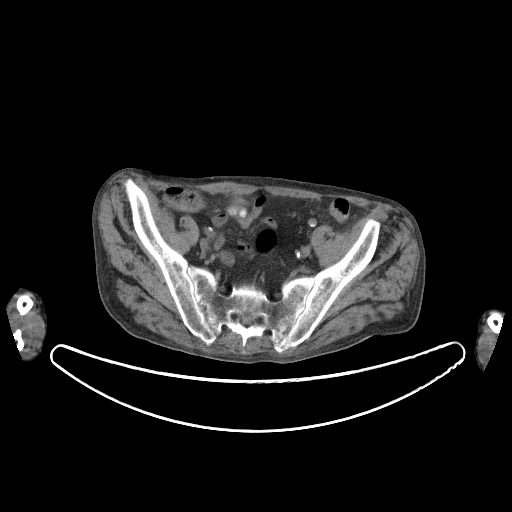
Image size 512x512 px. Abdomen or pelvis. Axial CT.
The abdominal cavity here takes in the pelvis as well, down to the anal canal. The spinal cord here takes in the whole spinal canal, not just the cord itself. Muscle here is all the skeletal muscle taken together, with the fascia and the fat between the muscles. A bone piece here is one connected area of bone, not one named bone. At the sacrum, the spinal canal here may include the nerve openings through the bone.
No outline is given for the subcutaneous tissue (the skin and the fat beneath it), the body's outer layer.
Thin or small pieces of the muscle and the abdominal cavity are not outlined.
Outlines (x, y in pixels):
left arm: 492,307 501,308 504,311 504,313 502,319 501,330 497,335 497,339 493,350 493,353 488,361 486,367 481,371 476,363 473,353 473,348 475,344 475,339 476,338 476,333 477,332 477,322 481,314 485,310
spinal cord 1: 258,317 260,317 262,319 262,322 261,323 254,323 253,322 251,324 246,326 245,325 243,325 241,323 241,322 240,321 240,319 241,318 244,318 247,320 250,320 251,321 253,321 256,318 257,318
spinal cord 2: 277,291 279,291 280,292 280,297 279,298 279,299 278,300 277,300 276,299 275,300 273,300 272,299 272,295 275,292 276,292
spinal cord 3: 219,285 221,285 222,286 225,286 226,287 226,293 225,294 223,294 222,293 221,293 218,290 218,289 219,288 218,287 218,286
spinal cord 4: 233,314 234,314 235,314 236,315 236,316 236,317 236,318 235,319 234,319 233,319 232,318 232,317 232,316 232,315
bones 1: 129,177 145,193 163,239 189,265 212,272 223,295 233,285 252,284 278,301 283,282 338,261 370,218 380,223 377,246 295,347 276,351 268,330 244,346 224,325 207,345 184,324 159,265 134,229 122,183; inner edge: 258,317 260,317 262,319 262,322 261,323 254,323 253,322 251,324 246,326 245,325 243,325 241,323 241,322 240,321 240,319 241,318 244,318 247,320 250,320 251,321 253,321 256,318 257,318
bones 2: 21,294 28,294 29,295 30,298 32,300 32,301 33,302 33,304 32,305 31,308 24,315 21,315 19,313 19,312 18,311 18,310 16,307 16,302 17,301 17,299 18,298 18,297
bones 3: 493,311 496,311 497,312 499,312 500,313 500,315 502,318 502,324 501,325 501,330 500,331 500,332 498,334 497,334 496,333 495,333 490,328 490,327 488,325 488,324 487,323 487,319 489,317 489,316
bones 4: 18,328 19,328 21,330 21,336 22,337 22,339 24,342 24,345 23,346 23,348 22,349 22,350 21,350 19,352 17,350 17,346 16,345 16,344 14,341 14,339 13,338 13,333 14,332 14,331
abdominal cavity: 167,186 222,196 265,190 317,200 343,197 365,212 343,231 328,224 313,230 309,243 320,268 313,275 286,279 271,298 252,283 233,284 227,293 212,271 185,257 200,230 190,215 176,216 160,206 156,192
right arm: 19,287 28,288 35,291 40,295 43,300 45,312 47,316 47,331 44,339 42,351 32,361 24,361 21,358 20,353 17,350 17,346 13,338 14,332 11,330 8,316 6,313 6,302 9,297
muscle 1: 123,172 135,172 141,174 145,177 150,177 156,180 161,180 168,182 189,183 190,184 202,184 212,182 232,181 238,183 258,185 259,186 260,185 269,185 270,186 294,187 295,188 306,189 319,193 338,193 339,194 359,196 369,200 379,201 389,204 394,207 398,207 404,212 405,215 411,221 413,226 413,235 417,242 419,250 419,262 415,282 413,286 408,291 409,292 409,300 403,309 390,319 384,319 380,321 372,322 365,326 361,330 353,334 348,335 345,337 342,337 326,345 321,346 311,351 301,353 298,355 279,357 274,356 266,352 259,352 250,355 236,355 233,353 218,354 203,351 196,348 187,347 184,345 179,344 173,340 156,333 145,326 137,323 133,318 133,314 118,298 116,292 117,291 115,288 115,282 113,279 113,275 107,259 107,254 102,244 102,239 98,226 98,212 102,195 107,189 110,181 116,175; inner edge: 129,177 184,257 200,230 190,215 160,206 156,192 167,186 345,198 365,212 343,231 313,230 321,270 370,218 380,223 377,246 295,347 276,351 268,330 244,346 224,325 207,345 184,324 134,229 122,183
muscle 2: 25,292 31,293 37,299 44,323 40,345 35,354 28,359 22,359 20,356 25,345 22,330 19,327 11,330 6,313 9,304 18,294 20,294 15,302 18,313 24,316 32,308 34,302 28,293 22,293
muscle 3: 488,311 491,312 486,319 486,323 489,328 497,335 497,339 493,350 493,353 490,359 488,361 488,363 486,367 485,368 483,368 480,362 478,360 477,344 479,341 479,338 482,333 483,319 485,314
torso: 124,167 137,167 159,174 187,177 284,177 361,190 396,200 416,219 425,248 425,286 416,323 403,333 375,335 339,351 284,364 220,361 173,350 129,334 108,314 100,300 91,227 92,206 98,189 113,172